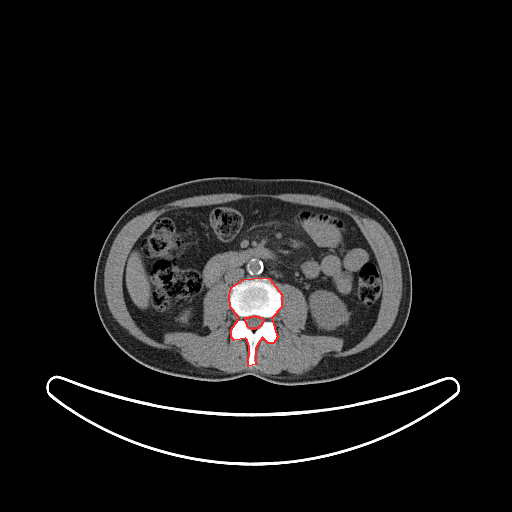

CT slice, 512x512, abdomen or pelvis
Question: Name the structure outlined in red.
Answer: red: bones.
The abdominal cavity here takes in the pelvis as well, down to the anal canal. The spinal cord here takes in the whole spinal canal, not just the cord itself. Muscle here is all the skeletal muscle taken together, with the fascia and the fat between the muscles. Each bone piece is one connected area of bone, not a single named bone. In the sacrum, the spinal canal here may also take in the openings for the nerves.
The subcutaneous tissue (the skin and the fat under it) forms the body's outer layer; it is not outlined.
{"bones":[{"outer":[[261,277],[269,278],[281,294],[281,307],[271,318],[277,337],[273,343],[268,343],[262,337],[255,348],[255,364],[248,366],[249,346],[247,340],[245,338],[234,340],[231,337],[231,329],[238,319],[238,316],[230,307],[229,295],[231,287],[243,279]],"hole":[[254,315],[255,316],[258,316],[259,317],[261,317],[263,319],[263,321],[260,326],[259,326],[257,328],[255,328],[254,329],[253,329],[252,328],[250,328],[247,326],[247,324],[245,321],[245,318],[246,317],[249,317],[250,316],[253,316]]}],"abdominal_cavity":[[[251,198],[333,209],[355,222],[382,280],[376,319],[357,343],[345,348],[341,337],[310,333],[303,292],[267,276],[209,289],[202,300],[203,327],[194,332],[168,331],[157,340],[138,326],[124,296],[124,266],[154,220],[177,208]]],"muscle":[{"outer":[[220,193],[239,193],[240,194],[259,194],[260,193],[265,193],[266,194],[282,194],[283,193],[297,193],[298,194],[319,195],[343,203],[351,207],[355,211],[364,213],[368,217],[377,221],[384,228],[392,239],[396,248],[398,257],[399,258],[399,261],[400,262],[400,265],[401,266],[401,278],[402,279],[401,298],[400,299],[396,317],[388,331],[373,345],[360,352],[347,356],[342,356],[341,357],[334,357],[331,355],[327,355],[312,369],[298,375],[293,373],[289,373],[286,371],[283,371],[278,374],[265,374],[257,370],[245,369],[233,373],[226,373],[218,369],[211,368],[210,367],[208,368],[205,368],[204,367],[198,368],[193,366],[186,361],[178,352],[176,352],[173,349],[161,349],[160,348],[156,348],[140,341],[131,335],[128,331],[120,325],[113,317],[108,307],[107,300],[104,291],[104,270],[105,269],[105,265],[111,246],[117,234],[128,221],[138,215],[140,215],[145,212],[152,210],[158,205],[166,204],[172,201],[175,201],[183,198],[192,197],[193,196],[207,195],[208,194],[219,194]],"hole":[[251,198],[333,209],[355,222],[375,257],[382,280],[376,319],[357,343],[345,348],[341,337],[310,333],[306,298],[289,283],[275,284],[281,294],[281,307],[271,318],[277,337],[273,343],[262,337],[258,341],[251,366],[247,364],[247,340],[231,337],[238,316],[230,307],[231,287],[226,283],[220,282],[205,293],[203,327],[194,332],[168,331],[157,340],[138,326],[124,296],[124,266],[132,247],[154,220],[177,208]]}],"torso":[[[217,176],[303,178],[328,182],[367,199],[389,218],[408,257],[412,296],[405,326],[385,354],[365,368],[339,379],[282,385],[253,375],[206,381],[162,373],[134,360],[112,340],[100,320],[94,299],[96,263],[109,231],[118,218],[141,198],[178,183]]],"spinal_cord":[[[254,315],[255,316],[258,316],[259,317],[261,317],[263,319],[263,321],[260,326],[259,326],[257,328],[255,328],[254,329],[253,329],[252,328],[250,328],[247,326],[247,324],[245,321],[245,318],[246,317],[249,317],[250,316],[253,316]]]}